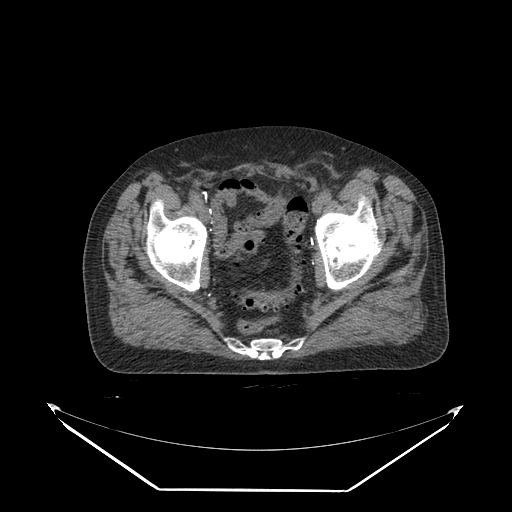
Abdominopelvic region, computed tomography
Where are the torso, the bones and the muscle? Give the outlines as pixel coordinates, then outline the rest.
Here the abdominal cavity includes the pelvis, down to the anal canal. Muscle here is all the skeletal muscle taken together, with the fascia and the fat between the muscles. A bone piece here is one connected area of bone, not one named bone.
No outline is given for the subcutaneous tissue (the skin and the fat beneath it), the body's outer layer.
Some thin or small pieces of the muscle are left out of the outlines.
Outlines:
torso: (261, 125) (311, 127) (360, 143) (396, 161) (427, 188) (437, 208) (445, 256) (449, 341) (444, 353) (438, 360) (413, 369) (374, 369) (301, 374) (119, 373) (107, 369) (98, 361) (88, 335) (82, 279) (82, 255) (90, 217) (101, 196) (133, 161) (157, 146) (195, 134)
bones 1: (360, 194) (365, 195) (371, 200) (373, 214) (378, 226) (379, 236) (383, 239) (382, 248) (374, 258) (369, 268) (362, 276) (341, 289) (333, 290) (330, 289) (326, 284) (324, 265) (316, 240) (314, 227) (316, 220) (323, 213) (332, 211) (351, 214) (357, 208) (357, 202)
bones 2: (158, 198) (162, 199) (164, 214) (169, 219) (174, 219) (185, 215) (195, 216) (203, 223) (207, 230) (206, 243) (200, 267) (200, 287) (195, 291) (188, 291) (183, 287) (163, 277) (152, 266) (146, 254) (145, 240) (147, 236) (146, 226) (149, 219) (149, 206) (154, 200)
bones 3: (227, 336) (235, 337) (246, 343) (254, 338) (279, 338) (284, 342) (302, 336) (305, 337) (305, 339) (301, 347) (297, 350) (287, 349) (282, 353) (279, 358) (270, 360) (260, 360) (256, 358) (251, 358) (248, 355) (241, 354) (231, 350) (223, 340) (223, 338)
muscle: (259, 160) (374, 166) (409, 185) (429, 229) (417, 340) (271, 360) (306, 339) (279, 336) (304, 330) (316, 243) (325, 284) (338, 291) (367, 272) (384, 239) (365, 194) (351, 213) (326, 211) (315, 223) (302, 183) (258, 173) (202, 184) (207, 229) (195, 215) (169, 218) (163, 199) (154, 199) (144, 240) (151, 266) (192, 293) (201, 287) (207, 247) (214, 301) (229, 331) (249, 340) (222, 340) (256, 359) (140, 349) (114, 335) (102, 238) (133, 178)
abdominal cavity: (255, 174) (297, 182) (309, 191) (313, 202) (313, 230) (316, 241) (315, 283) (303, 330) (292, 334) (281, 334) (278, 337) (249, 339) (234, 335) (230, 331) (224, 312) (216, 303) (211, 291) (209, 250) (206, 246) (208, 244) (208, 217) (203, 184) (214, 178) (247, 177)